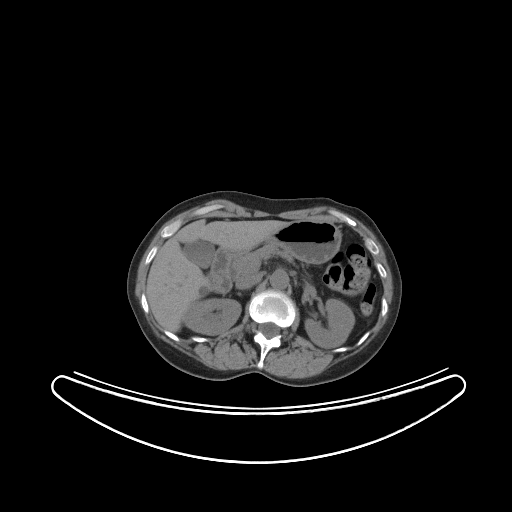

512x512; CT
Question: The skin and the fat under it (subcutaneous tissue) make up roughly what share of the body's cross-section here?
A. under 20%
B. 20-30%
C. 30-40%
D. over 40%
Answer: A. under 20%
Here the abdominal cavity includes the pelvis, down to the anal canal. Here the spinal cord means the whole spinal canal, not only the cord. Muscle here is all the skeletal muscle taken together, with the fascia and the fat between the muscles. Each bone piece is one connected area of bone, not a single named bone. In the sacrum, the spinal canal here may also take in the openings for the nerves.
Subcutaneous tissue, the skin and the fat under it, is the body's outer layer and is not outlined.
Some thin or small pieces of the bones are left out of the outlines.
Outlined structures:
spinal cord: [[268,322],[270,322],[271,323],[273,323],[275,325],[276,325],[278,327],[279,327],[279,328],[280,329],[280,331],[279,332],[279,333],[278,333],[276,335],[275,335],[270,338],[267,338],[258,329],[258,325],[259,325],[262,323],[267,323]]
abdominal cavity: [[310,216],[325,216],[350,226],[363,239],[381,278],[379,313],[356,342],[333,349],[316,347],[297,333],[300,314],[294,301],[273,288],[252,295],[241,322],[215,336],[179,337],[158,323],[146,296],[148,268],[166,239],[183,224],[200,217],[303,219]]
bones 1: [[267,289],[277,290],[287,295],[295,305],[296,314],[292,323],[282,330],[283,334],[281,344],[278,347],[271,348],[267,352],[263,360],[263,366],[260,369],[256,365],[260,357],[260,346],[253,340],[253,328],[255,324],[250,317],[248,305],[252,296]]; inner edge: [[268,322],[270,322],[271,323],[273,323],[275,325],[276,325],[278,327],[279,327],[279,328],[280,329],[280,331],[279,332],[279,333],[278,333],[276,335],[275,335],[270,338],[267,338],[258,329],[258,325],[259,325],[262,323],[267,323]]
bones 2: [[179,218],[181,218],[183,220],[183,223],[177,229],[177,230],[172,235],[171,235],[170,236],[169,236],[166,238],[162,238],[160,235],[160,232],[161,231],[161,230],[166,225],[168,225],[170,223],[171,223],[172,222],[173,222],[175,220],[176,220]]
bones 3: [[213,204],[221,204],[223,206],[219,209],[216,209],[215,210],[210,211],[203,215],[200,215],[199,216],[196,216],[192,214],[192,213],[196,209],[198,208],[200,208],[204,206],[208,206],[209,205],[212,205]]
bones 4: [[329,210],[334,210],[335,211],[338,211],[341,213],[343,213],[345,215],[346,215],[348,217],[349,217],[351,219],[352,219],[356,223],[356,225],[355,226],[351,226],[350,225],[347,224],[345,222],[340,220],[340,219],[336,216],[331,214],[328,211]]
bones 5: [[367,238],[370,238],[372,240],[373,240],[374,241],[374,242],[377,245],[377,246],[378,247],[378,248],[379,249],[379,252],[378,253],[378,254],[376,254],[375,255],[374,254],[372,254],[370,252],[370,251],[366,247],[366,246],[365,245],[365,240]]
bones 6: [[155,245],[156,245],[158,247],[158,249],[157,250],[155,255],[152,258],[152,259],[149,263],[149,264],[145,264],[145,263],[144,262],[145,261],[145,259],[146,258],[146,256],[147,255],[147,254],[149,252],[150,249],[153,246],[154,246]]
bones 7: [[142,293],[144,293],[145,294],[145,296],[146,297],[146,299],[147,300],[147,303],[148,304],[148,307],[149,308],[149,311],[147,313],[145,313],[144,312],[144,311],[142,308],[142,306],[141,305],[141,302],[140,301],[140,299],[141,298],[141,294]]
bones 8: [[377,262],[378,262],[379,263],[380,263],[383,266],[383,267],[385,269],[385,270],[386,271],[386,277],[385,277],[384,278],[382,278],[380,276],[380,275],[379,274],[379,273],[378,272],[378,271],[377,270],[377,269],[376,268],[376,265],[375,264]]
bones 9: [[165,329],[166,330],[168,330],[170,332],[171,332],[172,333],[173,333],[174,334],[175,334],[179,338],[179,341],[175,341],[173,339],[172,339],[171,338],[170,338],[168,336],[167,336],[165,334],[165,333],[164,332],[164,330]]
bones 10: [[368,330],[369,331],[369,334],[368,335],[368,336],[359,345],[356,345],[356,343],[358,341],[358,340],[365,333],[365,332],[366,332]]
muscle: [[213,199],[226,199],[247,208],[271,213],[322,205],[331,206],[362,222],[382,245],[392,274],[393,295],[390,311],[377,335],[359,352],[314,376],[286,378],[262,369],[268,352],[282,344],[283,330],[295,320],[296,307],[299,314],[296,333],[316,348],[331,350],[333,353],[345,352],[347,346],[355,343],[359,346],[369,336],[369,330],[379,314],[384,317],[388,312],[382,283],[382,279],[387,277],[387,271],[380,262],[375,263],[373,256],[380,252],[378,245],[370,237],[364,240],[352,228],[357,225],[352,218],[338,210],[329,209],[327,211],[339,220],[325,215],[303,218],[200,216],[185,223],[179,217],[166,224],[159,232],[160,237],[165,240],[159,248],[156,244],[153,245],[143,262],[149,265],[145,276],[145,293],[142,292],[139,299],[143,312],[147,314],[151,311],[163,328],[164,334],[175,342],[179,342],[180,338],[191,338],[194,342],[204,343],[208,338],[239,325],[247,307],[254,324],[252,340],[259,346],[259,357],[256,367],[217,370],[156,337],[135,296],[139,262],[152,238],[166,221]]; inner edge: [[213,204],[221,204],[223,206],[219,209],[216,209],[215,210],[210,211],[203,215],[200,215],[199,216],[196,216],[192,214],[192,213],[196,209],[198,208],[200,208],[204,206],[208,206],[209,205],[212,205]]
torso: [[217,190],[236,190],[270,198],[329,197],[356,206],[372,218],[396,258],[402,294],[390,334],[366,364],[337,380],[296,387],[278,383],[259,373],[221,381],[196,377],[175,368],[155,351],[142,333],[127,298],[130,261],[143,237],[168,209],[185,199]]